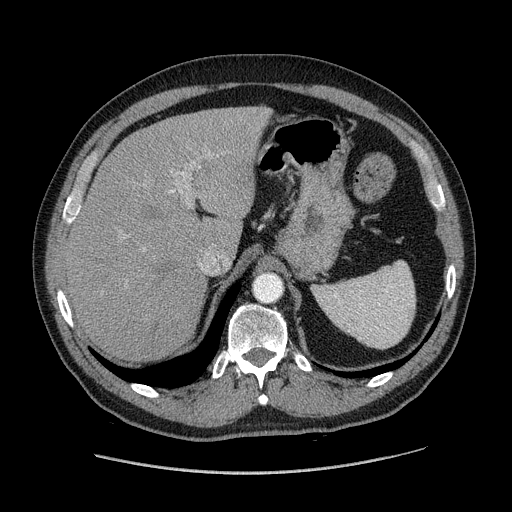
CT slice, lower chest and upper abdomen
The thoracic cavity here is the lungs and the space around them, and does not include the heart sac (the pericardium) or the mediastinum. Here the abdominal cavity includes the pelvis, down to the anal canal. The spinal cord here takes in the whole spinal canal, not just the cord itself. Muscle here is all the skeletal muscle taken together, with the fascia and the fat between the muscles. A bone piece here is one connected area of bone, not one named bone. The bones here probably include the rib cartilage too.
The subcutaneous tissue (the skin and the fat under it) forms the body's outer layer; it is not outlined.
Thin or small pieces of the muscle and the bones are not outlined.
spinal cord: 255 348; 263 348; 271 352; 273 354; 272 356; 263 365; 261 366; 257 366; 253 364; 251 362; 250 362; 247 359; 246 359; 244 356; 244 355; 246 354; 249 351
bones 1: 241 304; 257 304; 281 312; 288 323; 289 338; 312 363; 313 370; 309 372; 299 368; 289 353; 274 371; 264 376; 261 389; 252 373; 242 373; 237 378; 233 362; 228 363; 221 376; 211 378; 212 362; 220 350; 226 347; 228 319, around a hole outlined by 255 348; 263 348; 271 352; 273 354; 272 356; 263 365; 261 366; 257 366; 253 364; 251 362; 250 362; 247 359; 246 359; 244 356; 244 355; 246 354; 249 351
bones 2: 95 148; 101 153; 100 154; 101 155; 99 157; 97 163; 93 168; 88 181; 85 184; 78 212; 71 223; 69 225; 67 225; 62 221; 62 212; 65 201; 72 189; 73 184; 78 173; 78 170; 80 168; 81 164; 86 156
bones 3: 409 138; 413 138; 422 146; 428 154; 432 162; 432 167; 435 176; 438 182; 441 185; 445 198; 445 209; 442 211; 437 211; 430 201; 430 195; 426 185; 425 171; 423 166; 421 164; 421 162; 416 158; 412 152; 412 150; 408 145
bones 4: 59 288; 60 288; 63 291; 65 295; 65 297; 67 300; 68 305; 71 311; 71 316; 74 323; 74 326; 72 328; 70 327; 70 326; 64 319; 63 316; 61 314; 61 312; 59 308; 59 305; 58 304; 58 301; 57 300; 57 289
bones 5: 450 263; 452 263; 454 265; 454 267; 455 268; 455 289; 454 290; 454 292; 453 293; 453 295; 452 297; 450 299; 448 299; 447 298; 447 293; 445 289; 445 284; 446 283; 446 275; 447 274; 447 268; 449 266; 449 264
bones 6: 130 382; 135 382; 136 383; 140 383; 141 384; 144 384; 145 385; 150 386; 154 388; 159 393; 159 396; 158 397; 153 397; 151 398; 150 397; 148 397; 147 396; 142 395; 136 392; 131 388; 130 386
bones 7: 390 370; 393 370; 394 373; 393 375; 387 381; 386 381; 381 385; 379 385; 378 386; 375 386; 374 387; 368 387; 366 386; 366 383; 369 380; 370 378; 374 376; 376 376; 379 374; 381 374; 384 372; 389 371
thoracic cavity 1: 236 282; 240 283; 240 289; 228 312; 225 345; 215 355; 206 371; 188 384; 169 388; 153 387; 140 382; 128 381; 103 365; 89 349; 89 347; 92 348; 101 356; 118 366; 130 369; 145 368; 187 354; 200 345; 220 302; 228 289
thoracic cavity 2: 439 313; 438 321; 429 337; 409 359; 394 369; 384 371; 369 378; 368 377; 354 378; 336 375; 330 371; 327 371; 318 367; 313 364; 312 362; 332 370; 339 370; 340 371; 361 371; 393 362; 403 358; 409 354; 423 340; 435 318
muscle: 244 81; 285 82; 286 83; 287 82; 302 84; 322 84; 333 86; 345 91; 351 92; 373 103; 384 110; 401 118; 418 130; 427 139; 435 152; 446 176; 448 185; 451 190; 458 210; 460 230; 463 240; 463 250; 464 251; 463 255; 464 267; 462 278; 462 288; 458 298; 456 313; 453 319; 453 324; 450 329; 448 338; 443 345; 439 354; 432 362; 422 369; 414 377; 397 386; 383 396; 365 405; 360 406; 356 409; 336 415; 324 416; 317 418; 316 417; 293 416; 284 411; 272 407; 270 405; 267 405; 269 398; 264 392; 261 392; 257 396; 256 400; 258 404; 260 406; 262 406; 254 407; 248 413; 244 416; 240 417; 237 420; 229 424; 217 427; 198 427; 157 416; 124 399; 122 399; 114 393; 104 388; 100 384; 95 382; 77 364; 68 351; 63 341; 55 318; 50 308; 44 271; 46 242; 54 207; 70 165; 84 143; 93 132; 102 124; 118 115; 133 103; 143 98; 168 89; 198 84; 216 84; 224 82; 243 82, around a hole outlined by 238 86; 323 99; 382 124; 406 145; 413 138; 432 162; 445 198; 439 215; 455 289; 450 299; 445 293; 429 337; 381 385; 368 387; 368 377; 343 377; 314 364; 305 371; 289 353; 264 376; 261 389; 252 373; 237 378; 229 362; 217 378; 211 364; 188 384; 155 387; 159 396; 151 398; 103 365; 61 314; 57 289; 64 290; 69 227; 62 212; 86 156; 95 148; 102 154; 142 118
torso: 225 53; 301 54; 357 71; 402 97; 458 169; 476 245; 475 281; 463 327; 437 375; 386 418; 328 433; 207 443; 166 437; 128 424; 97 405; 65 367; 48 335; 34 292; 32 240; 41 200; 72 139; 100 106; 140 79; 182 61
mediastinum: 252 266; 259 271; 269 270; 276 272; 284 279; 285 283; 289 289; 292 301; 292 312; 290 317; 290 321; 288 321; 283 313; 275 307; 268 307; 257 303; 241 303; 233 310; 228 317; 230 309; 241 289; 240 281; 244 276; 244 274
abdominal cavity: 238 86; 323 99; 376 121; 420 162; 442 223; 448 266; 440 311; 403 357; 361 370; 311 361; 290 338; 293 301; 285 279; 252 265; 227 289; 203 339; 187 353; 130 368; 101 355; 80 333; 64 292; 63 251; 100 157; 134 122